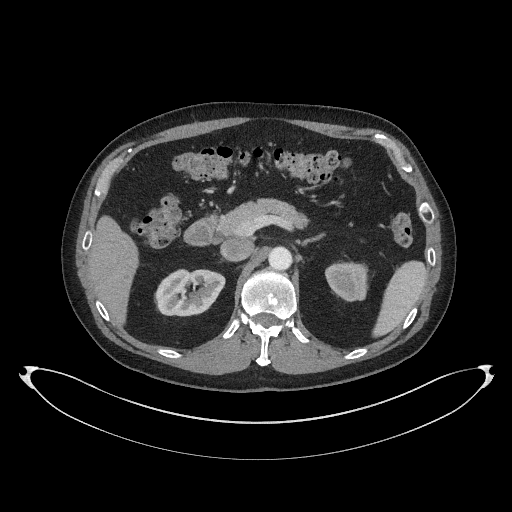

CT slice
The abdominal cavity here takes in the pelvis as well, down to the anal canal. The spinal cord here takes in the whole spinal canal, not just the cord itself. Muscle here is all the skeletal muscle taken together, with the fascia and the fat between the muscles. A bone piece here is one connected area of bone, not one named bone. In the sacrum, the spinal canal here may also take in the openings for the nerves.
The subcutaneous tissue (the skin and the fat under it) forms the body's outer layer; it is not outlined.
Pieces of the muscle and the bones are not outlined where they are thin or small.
{"muscle":[[[212,375],[258,366],[254,361],[260,340],[247,325],[241,324],[228,339],[221,334],[192,349],[174,349],[182,356],[170,359],[156,351],[165,347],[136,339],[111,318],[107,322],[98,313],[88,253],[81,248],[81,239],[86,229],[93,229],[104,198],[93,195],[101,170],[121,153],[124,161],[117,171],[136,152],[150,145],[254,119],[282,120],[339,138],[372,140],[377,131],[391,138],[413,168],[410,173],[404,172],[388,151],[395,167],[415,188],[417,205],[426,200],[434,210],[434,222],[425,224],[425,253],[431,245],[436,251],[436,264],[428,264],[428,277],[414,321],[406,329],[401,325],[385,338],[368,344],[368,352],[357,359],[346,360],[343,355],[351,350],[316,339],[301,326],[295,313],[295,324],[311,341],[301,343],[284,328],[270,339],[271,362],[267,366],[287,374],[313,373],[377,356],[406,341],[429,317],[441,271],[440,214],[415,160],[399,140],[375,128],[275,116],[228,117],[195,121],[127,142],[103,159],[86,193],[75,248],[77,275],[97,326],[106,337],[131,352]]],"bones":[{"outer":[[260,366],[270,362],[269,339],[284,327],[301,342],[310,341],[294,324],[292,315],[297,300],[291,281],[286,274],[268,269],[257,270],[244,282],[240,293],[243,310],[238,311],[238,317],[222,334],[228,338],[241,323],[247,324],[261,340],[255,361]],"hole":[[265,327],[268,327],[271,325],[273,325],[274,324],[277,324],[279,322],[279,320],[274,315],[273,315],[272,314],[268,314],[267,313],[260,313],[259,314],[257,314],[254,317],[254,320],[256,322],[257,322],[258,323],[260,323],[263,326],[264,326]]},[[98,197],[99,197],[101,195],[105,195],[108,189],[110,180],[114,172],[116,170],[118,166],[123,161],[123,154],[121,154],[115,157],[113,159],[112,159],[102,170],[101,174],[99,176],[97,180],[97,182],[96,183],[96,185],[94,189],[94,195]],[[406,172],[410,172],[412,170],[412,168],[411,166],[405,160],[401,151],[399,149],[397,145],[386,135],[382,133],[379,133],[378,132],[375,133],[372,136],[373,140],[381,144],[387,149],[390,149],[392,151],[393,155],[395,159],[398,162],[400,167]],[[425,223],[432,223],[433,222],[433,221],[434,220],[434,213],[433,212],[433,210],[431,208],[431,207],[429,205],[429,204],[426,201],[423,201],[419,205],[419,206],[418,207],[418,213],[419,214],[419,215],[420,216],[420,217],[421,218],[421,219]],[[346,359],[351,359],[352,358],[357,358],[358,357],[363,355],[365,353],[366,353],[367,352],[367,348],[366,347],[360,347],[359,348],[356,348],[355,349],[350,351],[348,353],[347,353],[345,355],[344,355],[344,358],[345,358]],[[170,358],[178,358],[179,357],[180,357],[181,356],[181,354],[179,352],[178,352],[177,351],[176,351],[173,349],[171,349],[170,348],[159,348],[158,349],[157,349],[157,351],[160,354],[161,354],[164,356],[166,356],[167,357],[169,357]],[[85,251],[87,251],[88,250],[88,249],[89,248],[89,247],[90,246],[90,244],[91,243],[91,235],[92,234],[92,233],[91,232],[91,230],[86,230],[85,231],[85,232],[84,233],[84,235],[83,236],[83,238],[82,239],[82,248]],[[107,321],[109,321],[110,320],[110,318],[107,313],[107,311],[106,310],[106,309],[104,307],[103,304],[98,299],[97,299],[95,301],[95,305],[96,306],[96,307],[97,308],[97,309],[98,310],[99,313],[101,315],[101,316],[105,320],[106,320]],[[403,328],[406,328],[413,321],[413,320],[414,319],[414,318],[416,315],[416,313],[417,312],[417,308],[416,307],[414,307],[410,311],[410,312],[408,314],[408,315],[406,317],[406,318],[404,320],[404,321],[403,322],[403,324],[402,325],[402,327]]],"abdominal_cavity":[[[184,349],[227,328],[240,304],[243,282],[261,268],[287,274],[296,291],[299,322],[332,346],[364,346],[400,325],[427,277],[425,227],[414,188],[387,150],[373,141],[254,120],[150,146],[116,172],[88,252],[98,297],[110,317],[136,338]]],"torso":[[[233,393],[306,390],[363,378],[414,355],[439,325],[455,280],[457,248],[453,217],[417,147],[391,121],[362,110],[321,104],[197,103],[158,114],[126,129],[101,149],[83,173],[69,204],[60,249],[65,291],[80,323],[107,355],[128,369],[176,385]]],"spinal_cord":[[[265,327],[268,327],[271,325],[273,325],[274,324],[277,324],[279,322],[279,320],[274,315],[273,315],[272,314],[268,314],[267,313],[260,313],[259,314],[257,314],[254,317],[254,320],[256,322],[257,322],[258,323],[260,323],[263,326],[264,326]]]}